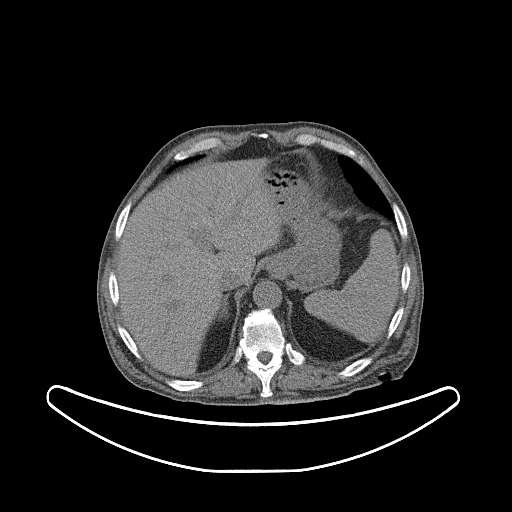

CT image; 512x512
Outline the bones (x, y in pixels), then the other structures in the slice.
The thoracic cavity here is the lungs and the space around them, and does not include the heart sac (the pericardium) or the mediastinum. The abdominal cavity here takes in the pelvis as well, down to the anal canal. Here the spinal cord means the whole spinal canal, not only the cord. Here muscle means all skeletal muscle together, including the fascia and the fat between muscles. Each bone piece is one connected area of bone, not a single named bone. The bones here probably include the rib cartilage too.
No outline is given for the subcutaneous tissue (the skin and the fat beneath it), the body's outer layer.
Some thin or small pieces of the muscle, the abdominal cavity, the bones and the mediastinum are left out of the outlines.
{"bones":[{"outer":[[263,308],[271,310],[279,322],[285,338],[305,357],[302,364],[296,365],[285,355],[283,356],[281,366],[270,379],[269,387],[272,395],[268,397],[260,395],[262,383],[253,372],[246,368],[246,360],[243,356],[238,362],[232,363],[244,318],[252,310]],"hole":[[262,351],[267,351],[268,352],[270,352],[271,353],[271,357],[270,358],[270,359],[268,361],[268,362],[267,362],[266,363],[263,363],[261,361],[260,361],[259,360],[259,359],[258,358],[258,357],[257,356],[258,355],[258,354],[260,352],[261,352]]},[[303,133],[315,135],[319,138],[325,139],[326,140],[330,140],[336,143],[342,144],[350,148],[363,159],[364,167],[358,164],[350,157],[337,151],[326,148],[318,143],[312,145],[303,145],[302,144],[296,143],[294,140],[295,137],[298,134],[302,134]],[[209,137],[217,137],[219,138],[222,141],[222,143],[220,145],[210,149],[206,149],[205,150],[200,151],[191,156],[189,156],[181,160],[178,160],[176,161],[173,159],[174,155],[178,151],[183,149],[187,149],[196,142],[202,139],[208,138]],[[365,356],[371,356],[372,357],[372,360],[371,362],[369,364],[368,364],[363,369],[362,369],[357,373],[351,376],[347,376],[343,378],[340,377],[338,375],[338,372],[342,369],[343,369],[346,366],[349,365],[352,362],[362,357],[364,357]],[[168,378],[169,379],[170,378],[175,378],[176,379],[179,379],[180,380],[197,380],[198,381],[202,381],[203,382],[203,384],[202,386],[198,388],[195,388],[189,391],[182,391],[181,390],[175,389],[171,386],[168,385],[165,382],[165,380]],[[393,203],[396,203],[398,205],[399,208],[403,214],[403,216],[406,223],[406,227],[407,228],[407,237],[406,239],[404,240],[403,240],[400,237],[400,235],[399,234],[399,232],[396,225],[396,222],[395,221],[395,218],[394,217],[394,213],[391,206]],[[129,201],[131,202],[131,207],[129,210],[129,213],[127,216],[127,219],[126,220],[126,222],[125,223],[123,231],[121,234],[121,236],[119,240],[116,240],[115,239],[115,225],[116,224],[116,221],[118,218],[118,216],[121,210],[123,208],[123,207]],[[118,324],[120,324],[122,326],[123,326],[128,332],[129,335],[135,343],[135,345],[137,347],[137,349],[142,357],[142,359],[141,360],[137,358],[130,351],[130,350],[124,343],[123,340],[120,336],[120,334],[117,328],[117,325]],[[111,271],[113,271],[114,272],[115,274],[115,277],[117,281],[117,289],[118,290],[118,303],[117,305],[114,305],[113,304],[112,302],[112,300],[111,299],[111,297],[110,296],[110,293],[109,292],[109,274]],[[400,306],[402,306],[403,307],[403,313],[401,316],[400,321],[397,327],[395,329],[394,332],[392,334],[392,335],[389,338],[387,338],[386,337],[386,335],[387,334],[388,327],[390,324],[390,322],[392,319],[392,317],[394,313],[398,308],[398,307]],[[405,262],[406,262],[408,264],[408,265],[410,268],[410,279],[409,280],[409,283],[408,284],[408,287],[407,288],[407,289],[406,290],[406,291],[405,292],[403,292],[401,289],[401,274],[402,273],[402,268],[403,267],[403,264]]],"torso":[[[299,120],[336,127],[359,141],[409,213],[419,245],[424,288],[419,344],[413,362],[400,378],[384,379],[375,386],[345,396],[305,403],[206,405],[176,401],[135,386],[120,373],[108,353],[96,301],[101,248],[122,198],[154,154],[184,131],[218,124]]],"thoracic_cavity":[[[340,155],[344,155],[353,160],[358,165],[362,167],[371,177],[378,186],[379,189],[390,205],[393,213],[394,221],[388,218],[379,211],[370,207],[369,205],[367,205],[364,203],[358,197],[355,193],[353,187],[347,180],[345,174],[340,165],[339,162]],[[201,154],[205,154],[204,157],[198,160],[196,160],[189,164],[186,164],[185,165],[181,165],[174,170],[166,172],[168,168],[169,168],[171,166],[175,164],[178,161],[181,161],[182,160],[184,160],[189,157],[196,157],[197,156],[199,156]]],"spinal_cord":[[[262,351],[267,351],[268,352],[270,352],[271,353],[271,357],[270,358],[270,359],[268,361],[268,362],[267,362],[266,363],[263,363],[261,361],[260,361],[259,360],[259,359],[258,358],[258,357],[257,356],[258,355],[258,354],[260,352],[261,352]]],"abdominal_cavity":[[[252,137],[311,146],[323,165],[327,201],[345,210],[361,201],[395,222],[397,308],[367,355],[344,367],[316,364],[286,338],[286,286],[262,269],[239,295],[241,325],[227,361],[198,379],[170,377],[144,359],[124,326],[120,239],[131,208],[165,168]]],"mediastinum":[[[262,270],[271,272],[272,274],[274,274],[280,280],[283,281],[285,286],[286,302],[285,317],[281,321],[279,321],[270,308],[263,307],[258,309],[252,309],[246,314],[241,321],[240,295],[242,293],[242,290],[244,286],[249,284],[254,279],[258,272]],[[314,145],[321,146],[341,154],[338,157],[339,165],[346,180],[350,184],[354,193],[360,201],[353,203],[350,207],[345,209],[333,205],[326,199],[324,192],[324,182],[327,176],[324,165],[320,161],[320,158],[318,157],[316,152],[312,149],[312,146]]],"muscle":[[[407,223],[419,284],[413,343],[409,352],[402,359],[340,387],[300,389],[297,391],[298,394],[271,396],[273,392],[270,382],[282,366],[284,356],[296,366],[307,360],[324,367],[343,368],[337,372],[342,379],[357,374],[372,362],[373,357],[368,355],[385,336],[389,339],[393,335],[404,313],[404,307],[398,304],[401,292],[405,293],[409,287],[411,268],[406,261],[403,263],[400,238],[404,241],[408,237]],[[114,227],[114,239],[119,243],[115,258],[115,273],[111,270],[108,274],[108,292],[112,304],[119,307],[123,325],[118,323],[116,328],[129,351],[137,359],[141,361],[143,358],[152,368],[169,377],[164,380],[168,386],[178,391],[189,392],[202,387],[204,382],[198,380],[221,368],[234,350],[231,363],[236,364],[244,358],[245,368],[261,383],[260,396],[237,398],[178,395],[136,378],[120,364],[110,341],[101,290]],[[302,126],[318,128],[332,133],[341,137],[359,150],[368,159],[391,192],[396,202],[393,202],[391,205],[379,186],[365,170],[364,159],[350,147],[342,143],[330,139],[322,138],[315,134],[307,132],[298,133],[293,139],[295,143],[294,144],[284,145],[273,139],[270,139],[269,134],[263,131],[253,133],[251,137],[236,146],[218,147],[223,143],[223,141],[217,136],[209,136],[196,141],[187,148],[178,150],[172,157],[172,159],[175,161],[170,163],[161,171],[137,201],[132,206],[132,202],[130,200],[127,202],[129,197],[138,187],[141,181],[152,171],[165,155],[176,145],[190,137],[210,131],[239,133],[243,131],[255,129],[257,130],[269,129],[282,132],[288,129]]]}